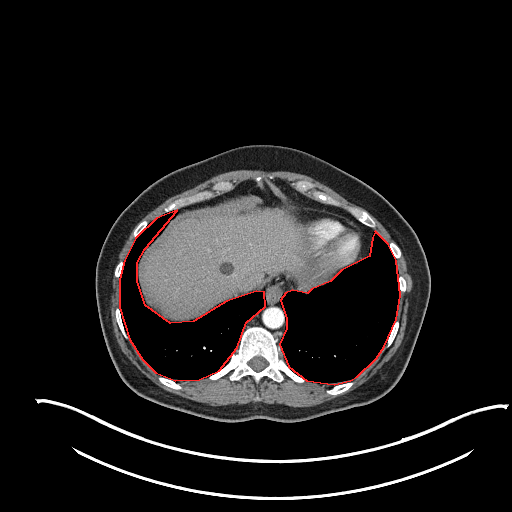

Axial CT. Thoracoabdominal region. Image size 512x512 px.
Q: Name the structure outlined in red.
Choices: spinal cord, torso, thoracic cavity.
A: red: thoracic cavity.
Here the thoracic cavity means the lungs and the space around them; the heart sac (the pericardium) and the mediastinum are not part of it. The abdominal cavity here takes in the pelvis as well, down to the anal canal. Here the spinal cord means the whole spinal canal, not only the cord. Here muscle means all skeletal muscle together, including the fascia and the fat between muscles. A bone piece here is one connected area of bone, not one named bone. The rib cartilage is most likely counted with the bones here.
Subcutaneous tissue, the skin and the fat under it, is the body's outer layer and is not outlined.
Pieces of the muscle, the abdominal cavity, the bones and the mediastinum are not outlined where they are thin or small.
thoracic cavity 1: 334,384 350,380 357,376 376,358 384,346 396,319 400,295 396,260 388,244 375,231 372,237 369,256 341,270 330,281 311,289 307,293 292,290 285,293 280,300 286,318 286,328 279,344 288,366 306,380
thoracic cavity 2: 175,380 199,379 219,370 237,347 246,322 265,306 264,292 256,291 226,301 193,321 170,323 145,305 137,281 137,262 145,248 177,210 156,218 135,238 124,260 119,279 119,307 129,339 142,359 155,372
muscle 1: 294,407 319,404 355,389 373,376 395,353 404,336 412,288 412,279 401,249 402,255 397,259 397,266 399,274 406,279 407,290 400,296 397,315 400,327 397,335 387,349 382,350 361,374 351,380 355,383 346,392 336,396 325,392 333,384 308,381 300,384 285,375 280,383 264,377 256,384 250,376 231,381 228,378 229,373 213,381 207,378 193,381 176,380 181,384 181,390 163,385 158,381 158,375 141,359 130,341 126,340 119,330 114,315 114,309 118,306 118,279 113,275 113,270 111,320 116,340 128,359 151,381 169,392 209,405 263,402
muscle 2: 149,222 162,214 165,206 181,196 210,188 218,180 229,180 235,187 243,181 254,180 257,175 261,175 263,181 267,180 269,175 272,175 274,179 281,179 290,185 298,179 309,180 315,184 316,188 339,200 341,203 340,207 345,209 347,205 352,205 364,209 348,201 327,185 304,174 282,170 241,169 215,175 168,198 142,218 141,220 146,219
muscle 3: 118,261 119,260 123,260 125,258 125,257 126,256 126,255 127,254 127,253 133,242 133,240 134,239 134,238 132,236 132,231 133,230 133,229 130,233 128,238 126,240 124,245 122,247 121,250 118,254
muscle 4: 388,243 390,241 391,241 392,240 393,240 393,239 391,237 391,236 390,235 390,234 387,231 387,230 380,223 380,222 379,222 372,215 371,215 372,216 372,217 375,220 375,221 377,224 377,226 374,229
bones 1: 256,383 264,376 280,382 284,374 300,383 305,380 287,366 277,339 265,328 252,326 246,328 242,333 238,347 231,355 229,361 208,378 212,380 217,379 230,372 229,378 231,380 239,380 243,376 250,375 with a hole at 255,371 260,371 262,369 263,369 267,365 267,361 264,358 263,358 262,357 261,357 260,356 256,356 255,357 254,357 253,358 252,358 248,362 248,364
bones 2: 164,212 167,212 173,209 177,209 191,203 194,203 205,199 209,199 215,195 233,189 234,186 233,184 229,181 218,181 213,184 210,189 206,189 200,191 195,194 186,197 181,197 175,200 164,208
bones 3: 336,206 339,206 340,205 339,201 336,200 331,196 316,189 314,187 314,184 309,181 298,180 295,182 293,182 291,184 291,186 294,189 302,193 308,191 311,194 311,197 316,200 321,201 324,203 335,205
bones 4: 372,228 374,228 376,226 376,224 374,220 371,217 371,216 366,211 364,210 362,210 361,209 359,209 357,207 353,207 352,206 347,206 346,207 346,209 347,211 349,212 354,217 355,217 360,222
bones 5: 333,395 336,395 337,394 339,394 340,393 342,393 346,391 354,383 353,381 347,381 346,382 344,382 340,384 337,384 327,389 326,392 328,394 332,394
bones 6: 174,389 181,389 182,388 180,384 177,383 174,380 172,380 171,379 169,379 168,378 166,378 165,377 163,377 159,375 158,376 158,379 160,382
bones 7: 383,349 385,348 387,348 393,341 396,335 397,330 399,327 399,320 398,319 397,319 395,321 395,323 392,328 392,330 390,333 390,335
bones 8: 126,339 128,339 128,336 126,334 124,330 124,328 123,327 123,324 121,320 121,315 120,314 120,311 119,310 119,308 117,307 115,309 115,315 116,316 116,320 118,323 118,325 120,328 120,330 121,332
bones 9: 134,237 136,237 144,229 144,228 148,224 148,222 146,220 143,220 142,221 141,221 135,227 135,228 134,229 134,230 133,231 133,236
bones 10: 396,259 397,258 399,258 400,257 400,256 401,255 401,251 400,250 400,249 399,248 399,247 393,241 392,241 389,243 389,246 390,247 390,249 391,250 391,251 392,252 392,253 394,255 394,256 396,258
torso: 228,422 256,418 302,421 380,398 403,374 429,300 431,277 427,259 416,233 403,216 365,182 321,158 287,146 239,146 162,176 119,214 106,235 96,263 95,290 100,325 109,355 124,383 136,394 154,403
pericardium: 325,280 332,278 341,269 351,264 354,264 362,257 364,242 361,230 345,217 335,212 321,208 314,208 309,206 296,206 295,210 297,219 300,225 305,228 309,236 312,247 316,252 317,268 319,272 323,275
mediastinum 1: 278,343 285,328 285,318 284,317 284,314 280,307 279,300 281,296 285,292 293,289 287,289 280,286 272,286 271,288 265,290 266,306 262,310 257,312 247,322 246,327 252,325 263,326 269,330 278,339
mediastinum 2: 362,258 369,255 371,237 374,230 373,229 360,223 345,210 339,207 316,201 294,190 285,182 281,180 276,180 276,183 296,203 314,207 321,207 335,211 345,216 350,221 357,225 362,230 365,242 364,254
spinal cord: 255,371 260,371 262,369 263,369 267,365 267,361 264,358 263,358 262,357 261,357 260,356 256,356 255,357 254,357 253,358 252,358 248,362 248,364
abdominal cavity: 170,322 193,320 226,300 256,290 264,291 272,285 307,292 330,280 325,281 318,272 315,252 296,219 294,207 301,205 290,199 275,180 246,181 229,192 178,209 178,213 146,248 138,262 140,289 146,305